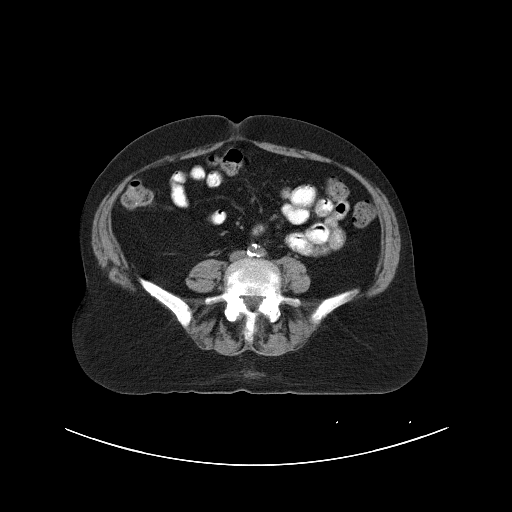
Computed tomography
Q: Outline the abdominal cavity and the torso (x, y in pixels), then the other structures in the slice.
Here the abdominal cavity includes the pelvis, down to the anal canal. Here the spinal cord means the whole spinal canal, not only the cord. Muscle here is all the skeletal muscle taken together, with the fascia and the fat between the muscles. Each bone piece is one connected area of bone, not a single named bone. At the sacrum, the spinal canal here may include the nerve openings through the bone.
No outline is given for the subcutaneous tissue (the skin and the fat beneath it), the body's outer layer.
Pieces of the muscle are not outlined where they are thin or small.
A: abdominal cavity: 230,142 331,165 365,188 380,226 378,260 368,284 299,298 295,296 309,289 311,278 295,257 284,255 275,263 244,257 229,264 207,258 189,270 184,282 208,295 184,296 133,268 112,226 112,208 128,182
torso: 208,114 234,121 258,114 303,120 347,139 385,173 407,216 428,324 425,359 405,385 387,393 361,395 242,390 128,395 109,390 84,373 73,351 71,321 85,290 78,227 88,191 110,160 140,135 172,121
spinal cord: 245,296 258,296 259,297 261,297 261,300 260,301 260,302 258,304 258,305 257,306 257,307 255,309 249,309 247,307 247,306 246,305 246,304 245,303 245,302 244,301 244,297
bones 1: 244,258 275,264 280,271 281,292 301,302 298,306 280,304 280,315 274,322 260,313 255,320 251,341 244,338 246,319 242,313 235,321 229,321 224,315 224,301 209,304 204,301 207,296 224,290 226,268; inner edge: 245,296 258,296 259,297 261,297 261,300 260,301 260,302 258,304 258,305 257,306 257,307 255,309 249,309 247,307 247,306 246,305 246,304 245,303 245,302 244,301 244,297
bones 2: 139,276 141,276 153,282 162,288 173,293 175,295 180,297 187,303 192,313 192,318 190,321 190,323 186,328 184,328 180,324 176,316 165,305 150,295 143,288 137,279
bones 3: 353,288 358,288 359,289 359,291 347,302 334,309 325,317 324,317 319,323 315,324 311,321 311,315 312,313 314,311 316,307 323,299 329,296 332,296 335,294 337,294 338,293 340,293 346,290 349,290
muscle 1: 238,137 246,138 249,140 252,140 257,142 264,142 274,145 283,146 287,148 294,148 297,150 309,151 326,158 331,159 349,167 359,173 377,187 384,194 395,214 395,217 398,224 398,229 400,234 400,242 401,243 400,253 399,254 399,262 396,268 394,277 389,285 382,292 372,297 366,298 346,305 344,307 334,312 321,324 310,337 308,341 300,349 289,354 284,354 277,356 266,356 265,355 258,354 251,350 246,350 240,354 229,356 228,355 223,355 217,353 212,350 203,350 200,349 197,347 184,330 180,327 178,323 172,318 172,316 163,308 141,296 125,291 119,286 110,281 107,275 104,273 103,270 99,265 93,252 91,245 92,224 93,223 94,215 97,208 103,198 110,190 127,174 146,164 148,164 155,160 163,158 166,156 170,156 178,153 187,152 192,149 210,146 212,144 215,144 227,140 230,138 237,138, around a hole outlined by 230,142 331,165 373,200 380,226 374,275 317,324 311,315 325,298 300,298 298,306 280,304 274,322 260,313 247,341 242,313 229,321 224,301 177,294 192,313 184,328 140,284 113,231 112,208 132,178
muscle 2: 207,259 215,259 216,260 223,261 228,265 225,268 223,274 225,280 225,286 223,290 219,293 210,294 209,295 208,294 204,294 203,293 196,292 190,289 186,285 185,279 188,275 190,270 199,262
muscle 3: 284,256 289,256 292,258 295,258 305,266 306,268 306,272 310,278 310,285 306,291 299,294 296,294 294,296 287,295 284,294 282,292 281,290 281,285 282,284 281,271 279,267 276,264 276,262 277,260